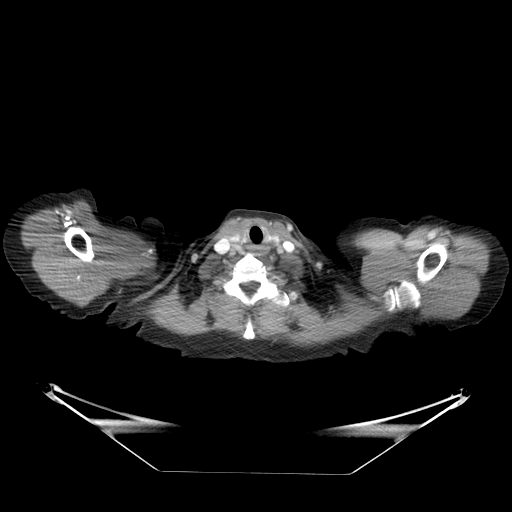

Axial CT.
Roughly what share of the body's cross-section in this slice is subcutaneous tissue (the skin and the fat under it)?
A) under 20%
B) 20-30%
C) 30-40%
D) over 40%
C) 30-40%
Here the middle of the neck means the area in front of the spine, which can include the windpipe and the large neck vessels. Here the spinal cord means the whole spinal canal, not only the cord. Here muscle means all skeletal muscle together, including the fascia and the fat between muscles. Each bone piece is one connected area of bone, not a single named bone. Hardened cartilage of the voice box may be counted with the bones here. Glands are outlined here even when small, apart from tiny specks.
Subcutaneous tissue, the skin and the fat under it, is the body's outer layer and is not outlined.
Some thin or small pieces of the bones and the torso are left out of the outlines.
The thyroid glands appear in 2 outlined pieces: piece 1: 234,231 239,231 239,241 240,242 239,243 241,247 241,250 240,251 238,251 230,247 231,245 229,242 229,240 227,238 227,236 231,234; piece 2: 271,231 272,232 275,232 279,236 279,239 280,240 279,241 279,243 277,245 275,245 273,243 273,242 272,241 272,240 271,239 271,235 272,234 272,233 271,232. The bones appear in 5 outlined pieces: piece 1: 246,252 254,253 272,274 284,281 283,284 278,285 280,290 287,293 293,290 297,293 297,297 287,306 278,306 268,299 260,299 252,307 247,307 238,298 227,295 222,284 215,282 227,278 233,268 232,265; inner edge: 252,281 253,281 254,282 257,282 259,284 258,285 258,286 257,287 257,288 255,290 255,291 254,292 253,292 250,295 248,295 242,289 242,288 240,286 240,284 241,284 242,283 247,283 248,282 251,282; piece 2: 403,279 408,281 412,281 415,283 420,292 420,306 417,309 406,308 401,311 398,309 395,309 391,312 384,311 382,309 381,302 379,300 372,299 371,296 375,295 379,297 387,289 397,286 400,283 401,280; piece 3: 433,242 437,242 438,243 444,244 445,245 446,249 447,250 447,258 438,272 430,280 429,280 424,284 420,284 417,281 417,279 416,278 416,266 415,265 415,263 421,253 424,250 425,250 431,243; piece 4: 74,225 80,226 90,237 91,239 92,248 94,252 94,257 91,262 84,262 82,261 78,257 77,257 70,251 70,250 67,247 67,246 64,242 64,240 62,236 63,233 66,229 68,229 70,227; piece 5: 248,317 250,317 251,318 251,321 252,322 252,326 253,327 253,330 255,333 255,336 253,339 245,339 244,338 243,338 243,337 242,336 242,335 245,330 245,325 246,324 246,322 247,321 247,318. The right arm is outlined by 76,187 86,187 92,192 100,213 110,215 116,220 131,215 139,223 137,255 119,297 113,306 80,320 70,319 51,309 45,301 30,295 11,270 2,247 3,230 11,213 19,204 39,193 68,191. The torso appears in 2 outlined pieces: piece 1: 369,215 399,221 397,258 401,274 430,329 420,328 414,338 405,334 385,334 367,354 351,349 346,356 338,354 325,359 286,363 310,346 320,328 326,277 319,247 337,258 338,254 332,243 333,232 350,219; piece 2: 147,215 157,217 166,230 180,228 184,232 185,245 195,238 182,276 182,296 189,321 197,337 208,353 218,359 181,357 175,349 143,341 135,336 138,324 124,330 104,324 106,316 129,280 138,255 140,222. The muscle appears in 2 outlined pieces: piece 1: 234,216 287,221 340,276 353,277 360,271 360,251 349,244 353,234 370,227 406,234 422,224 443,225 456,233 470,232 487,239 492,249 489,269 481,279 481,290 474,303 456,319 424,317 417,311 400,313 358,334 309,348 254,339 256,333 250,316 241,335 244,339 214,331 183,336 155,325 136,313 134,306 167,288 189,267 192,252 201,248, around holes outlined by 251,223 265,225 279,236 280,242 293,245 292,251 255,255 272,274 284,281 278,285 280,290 297,293 287,306 260,299 247,307 238,298 227,295 220,282 215,282 227,278 232,265 241,256 217,255 214,244 and by 403,279 408,281 412,281 415,283 420,292 420,306 417,309 406,308 401,311 398,309 395,309 391,312 384,311 382,309 381,302 379,300 372,299 371,296 375,295 379,297 387,289 397,286 400,283 401,280 and by 433,242 437,242 438,243 444,244 445,245 446,249 447,250 447,258 438,272 430,280 429,280 424,284 420,284 417,281 417,279 416,278 416,266 415,265 415,263 421,253 424,250 425,250 431,243; piece 2: 79,196 87,201 91,206 92,213 103,225 127,229 139,234 153,243 158,253 157,267 150,275 121,285 82,307 61,298 45,286 32,268 30,256 22,245 19,235 19,225 26,214 48,205 59,202 69,202; inner edge: 74,225 80,226 90,237 91,239 92,248 94,252 94,257 91,262 84,262 82,261 78,257 77,257 70,251 70,250 67,247 67,246 64,242 64,240 62,236 63,233 66,229 68,229 70,227. The spinal cord is outlined by 252,281 253,281 254,282 257,282 259,284 258,285 258,286 257,287 257,288 255,290 255,291 254,292 253,292 250,295 248,295 242,289 242,288 240,286 240,284 241,284 242,283 247,283 248,282 251,282. The left arm is outlined by 424,212 432,212 456,221 483,224 497,234 507,251 510,260 510,270 504,291 491,312 475,325 465,326 453,331 449,331 444,327 432,331 402,274 402,268 398,258 400,245 400,222 406,223 411,219 416,220. The head and neck is outlined by 235,208 265,210 281,213 290,217 299,229 317,244 323,260 325,277 324,303 317,334 308,347 285,363 271,363 239,358 219,359 210,354 204,347 188,315 183,296 183,276 196,237 213,230 225,213. The middle of the neck is outlined by 251,223 265,225 271,233 269,237 275,246 280,242 290,242 293,245 293,250 272,252 267,255 258,255 250,251 244,252 241,256 217,255 214,251 214,244 225,237 228,240 229,247 240,252 242,250 240,230.